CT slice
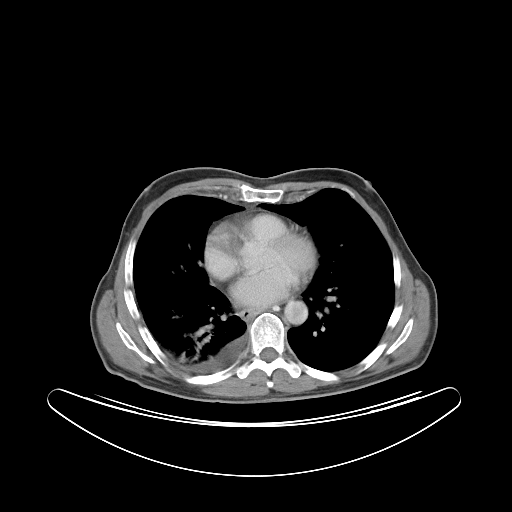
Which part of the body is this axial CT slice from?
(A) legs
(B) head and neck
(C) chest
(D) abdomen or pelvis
(C) chest
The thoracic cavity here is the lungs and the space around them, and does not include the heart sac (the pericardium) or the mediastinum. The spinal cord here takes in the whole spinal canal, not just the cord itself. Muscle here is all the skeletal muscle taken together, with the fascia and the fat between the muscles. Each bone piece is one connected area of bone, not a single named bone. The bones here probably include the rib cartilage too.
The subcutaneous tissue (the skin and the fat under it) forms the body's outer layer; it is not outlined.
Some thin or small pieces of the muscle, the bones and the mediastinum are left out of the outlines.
The torso is outlined by 200 166; 226 168; 258 177; 302 168; 333 167; 352 171; 369 180; 435 286; 438 328; 425 362; 399 376; 345 393; 251 404; 184 399; 144 388; 109 372; 94 346; 89 312; 97 285; 114 253; 125 217; 144 187; 154 179; 177 169. The muscle is outlined by 204 178; 233 178; 253 186; 236 183; 233 193; 237 200; 227 192; 184 193; 168 199; 150 215; 138 239; 132 237; 128 241; 125 251; 125 286; 122 291; 125 305; 134 320; 142 317; 145 324; 139 323; 137 330; 164 367; 168 365; 167 358; 189 374; 182 378; 186 383; 203 386; 233 375; 244 379; 255 369; 270 377; 279 368; 294 379; 304 373; 320 381; 336 382; 340 377; 334 372; 356 364; 359 374; 383 353; 389 355; 407 340; 414 323; 411 316; 389 345; 385 340; 380 341; 385 329; 395 327; 404 307; 401 302; 395 303; 395 289; 401 285; 401 263; 399 256; 391 252; 377 224; 356 200; 354 192; 347 186; 338 188; 333 184; 314 192; 309 189; 281 202; 285 188; 263 188; 281 182; 321 180; 338 182; 357 191; 385 223; 413 277; 425 284; 430 299; 430 327; 418 355; 406 363; 360 379; 300 393; 272 391; 255 397; 207 397; 149 379; 114 363; 101 343; 96 310; 104 291; 113 287; 123 247; 151 201; 177 184, around holes outlined by 116 322; 118 322; 121 325; 122 328; 130 336; 130 337; 133 340; 137 347; 143 353; 144 353; 155 361; 154 363; 150 363; 146 360; 144 360; 134 350; 128 348; 125 345; 125 344; 122 341; 117 331; 117 329; 116 328 and by 204 186; 220 186; 221 187; 221 188; 219 190; 214 190; 213 189; 204 189; 203 188; 198 188; 199 187; 203 187 and by 268 379; 269 379; 270 380; 271 380; 272 381; 273 382; 273 383; 273 384; 273 385; 272 386; 272 387; 271 387; 270 387; 269 387; 268 387; 267 386; 267 385; 266 384; 266 383; 266 382; 267 381; 267 380. The spinal cord is outlined by 268 347; 270 347; 271 348; 274 349; 275 350; 275 351; 277 353; 277 356; 275 358; 274 358; 272 360; 271 360; 270 361; 266 361; 265 360; 262 359; 260 357; 260 353; 263 350; 263 349; 264 349; 265 348; 267 348. The thoracic cavity appears in 2 outlined pieces: piece 1: 324 188; 337 188; 347 193; 376 224; 391 253; 394 284; 394 304; 379 342; 357 363; 335 371; 303 362; 287 340; 287 331; 301 326; 309 317; 310 309; 303 293; 319 266; 321 255; 318 247; 306 225; 260 206; 261 203; 301 201; piece 2: 184 194; 207 194; 205 196; 222 199; 243 208; 211 222; 206 233; 200 264; 207 274; 208 283; 227 298; 233 312; 245 322; 249 343; 241 355; 227 367; 207 374; 191 375; 170 361; 144 321; 133 286; 134 254; 147 221; 162 204. The mediastinum appears in 3 outlined pieces: piece 1: 308 285; 307 288; 302 293; 302 299; 309 309; 308 317; 301 325; 291 327; 286 331; 283 321; 276 314; 269 311; 264 311; 258 314; 247 325; 246 322; 238 314; 234 312; 229 301; 236 307; 266 307; 287 302; 301 293; 302 290; 303 290; 306 288; piece 2: 211 193; 227 193; 229 194; 234 200; 241 202; 245 202; 246 203; 259 202; 260 203; 259 205; 260 207; 251 207; 243 211; 240 211; 242 211; 244 209; 241 205; 229 202; 227 200; 225 200; 222 198; 212 197; 208 195; 205 195; piece 3: 236 212; 239 212; 237 212; 236 213; 234 213; 231 215; 228 215; 227 216; 226 216; 225 217; 216 221; 209 228; 209 229; 209 227; 211 225; 212 222; 214 220; 216 220; 223 216; 225 216; 226 215; 228 215; 229 214; 232 214; 233 213; 235 213. The pericardium is outlined by 251 208; 269 210; 289 218; 301 226; 305 226; 317 247; 319 253; 318 265; 311 281; 301 290; 301 292; 287 301; 261 307; 236 306; 222 291; 210 282; 208 274; 202 265; 204 258; 205 241; 210 228; 216 222; 228 216; 243 212. The bones appear in 10 outlined pieces: piece 1: 264 312; 272 313; 282 321; 286 340; 303 363; 333 372; 339 377; 338 380; 320 380; 304 372; 294 378; 280 367; 270 376; 255 368; 244 378; 233 374; 206 385; 188 383; 183 379; 186 375; 211 374; 235 362; 250 343; 248 326, around a hole outlined by 268 347; 270 347; 271 348; 274 349; 275 350; 275 351; 277 353; 277 356; 275 358; 274 358; 272 360; 271 360; 270 361; 266 361; 265 360; 262 359; 260 357; 260 353; 263 350; 263 349; 264 349; 265 348; 267 348; piece 2: 236 184; 247 184; 252 187; 262 188; 263 189; 276 189; 277 188; 282 188; 283 189; 285 189; 285 192; 284 193; 284 196; 280 202; 277 202; 276 203; 260 202; 259 201; 246 202; 245 201; 241 201; 237 199; 234 193; 234 189; piece 3: 132 238; 137 241; 132 261; 132 281; 133 285; 129 287; 134 293; 135 302; 138 310; 141 314; 141 316; 139 319; 134 319; 131 316; 126 305; 123 293; 123 291; 126 286; 124 278; 125 256; 129 241; piece 4: 411 317; 413 318; 412 328; 406 340; 389 354; 385 354; 385 353; 383 352; 370 366; 365 370; 359 373; 357 373; 357 370; 359 367; 357 364; 372 351; 381 341; 385 341; 387 343; 387 345; 389 346; 397 338; 402 331; 405 324; piece 5: 139 324; 145 325; 147 327; 148 330; 152 335; 153 338; 158 344; 160 349; 164 353; 166 357; 165 359; 165 361; 167 365; 166 366; 164 366; 158 360; 156 359; 155 356; 151 352; 151 351; 143 340; 138 330; 138 325; piece 6: 116 322; 118 322; 121 325; 122 328; 130 336; 130 337; 133 340; 137 347; 143 353; 144 353; 155 361; 154 363; 150 363; 146 360; 144 360; 134 350; 128 348; 125 345; 125 344; 122 341; 117 331; 117 329; 116 328; piece 7: 393 253; 394 253; 395 254; 396 254; 398 256; 398 258; 399 259; 399 262; 400 263; 400 269; 401 270; 401 278; 400 279; 400 285; 398 288; 395 288; 395 284; 394 283; 394 269; 393 268; 393 259; 392 258; 392 254; piece 8: 401 303; 403 305; 403 307; 402 308; 402 310; 401 311; 400 316; 399 317; 396 324; 394 326; 394 327; 393 328; 386 328; 386 325; 387 324; 387 323; 388 322; 388 320; 391 315; 391 313; 393 310; 394 305; 395 304; 400 304; piece 9: 309 190; 312 190; 313 192; 311 194; 309 195; 307 195; 303 199; 301 200; 298 200; 297 201; 293 201; 292 202; 286 202; 286 199; 287 198; 291 198; 293 199; 298 196; 300 196; 304 194; 307 191; piece 10: 341 187; 347 187; 351 191; 352 191; 353 192; 353 193; 355 195; 355 199; 354 199; 347 192; 346 192; 345 191; 344 191; 343 190; 342 190; 341 189; 340 189; 340 188.